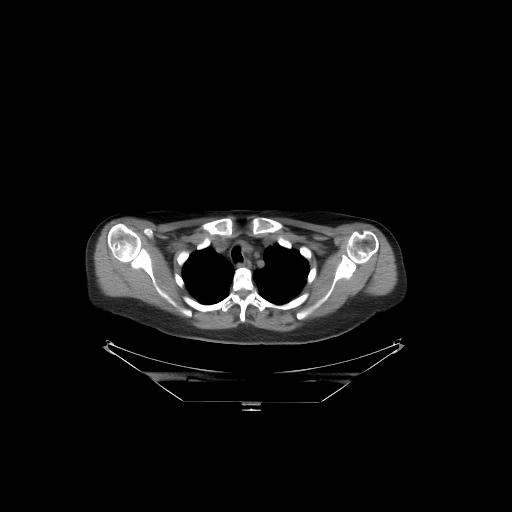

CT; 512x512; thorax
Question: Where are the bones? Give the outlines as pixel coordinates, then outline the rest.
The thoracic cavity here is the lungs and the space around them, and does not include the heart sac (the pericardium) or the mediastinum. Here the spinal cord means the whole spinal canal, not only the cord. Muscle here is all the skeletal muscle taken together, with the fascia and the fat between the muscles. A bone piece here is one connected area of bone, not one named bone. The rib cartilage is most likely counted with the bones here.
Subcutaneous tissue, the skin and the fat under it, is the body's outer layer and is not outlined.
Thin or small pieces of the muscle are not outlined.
Answer: Outlined structures:
bones 1: 239,267 252,272 258,293 269,302 281,305 302,293 307,292 308,296 302,304 289,309 266,307 260,311 249,304 244,322 236,303 226,311 192,308 188,317 180,310 189,307 183,296 206,305 221,301 229,294 with a hole at 242,289 243,289 244,290 246,290 248,292 248,293 246,295 246,296 244,298 241,298 240,297 240,296 238,294 238,291 239,291 240,290 241,290
bones 2: 117,223 123,223 139,235 141,239 142,246 148,251 150,255 152,264 152,271 156,283 176,303 177,307 169,303 158,293 150,276 143,269 133,268 129,262 122,262 112,255 107,244 107,234 110,228
bones 3: 365,229 372,231 376,235 379,244 377,252 366,262 357,264 350,278 340,278 323,303 303,319 298,319 296,317 298,311 307,309 313,305 329,289 341,256 346,252 346,244 350,235 354,231 361,232
bones 4: 223,217 228,217 230,218 233,222 233,225 232,226 232,233 230,237 228,237 224,235 219,235 218,234 209,234 208,232 204,230 201,227 202,224 206,222 209,222 210,221 212,221 216,219 219,219
bones 5: 259,216 262,216 263,217 268,217 276,221 278,221 280,222 282,224 282,228 275,232 267,232 266,233 262,233 261,234 254,235 252,231 252,224 251,223 251,221 254,218 256,217 258,217
bones 6: 183,250 186,250 187,251 188,251 189,252 189,255 188,256 188,257 187,258 187,259 184,262 184,263 182,265 182,266 180,266 178,264 178,262 177,261 177,256 178,255 178,254 181,251 182,251
bones 7: 301,246 306,246 311,251 311,257 310,258 310,259 309,260 308,260 307,259 306,259 299,252 299,248
bones 8: 313,266 315,266 316,267 316,275 315,276 315,277 313,279 313,280 310,283 307,283 307,276 308,275 308,273 309,272 309,270 310,269 310,268 311,267 312,267
bones 9: 279,236 282,236 285,239 286,239 288,241 289,241 291,243 291,245 292,246 292,247 291,247 290,248 287,248 286,247 285,247 284,246 282,246 280,244 279,244 278,243 278,242 277,241 277,238
bones 10: 205,237 209,237 209,238 210,239 210,243 209,244 209,245 208,246 207,246 206,247 204,247 203,248 201,248 200,249 197,249 196,248 196,247 197,246 197,245 198,244 199,244 205,238
bones 11: 175,273 177,273 178,274 179,274 181,276 181,277 182,278 182,279 183,280 183,281 184,282 184,286 183,287 180,287 176,283 176,282 175,281 175,278 174,277 174,274
bones 12: 147,227 148,227 149,228 150,228 152,230 152,231 153,232 153,236 151,238 149,238 147,236 146,236 144,234 144,233 143,232 143,230 145,228 146,228
thoracic cavity 1: 275,244 278,244 287,249 291,248 297,249 298,252 307,260 309,266 306,276 306,282 301,289 300,294 287,302 281,304 274,303 264,298 259,293 253,280 253,272 257,269 261,269 265,265 264,262 265,249
thoracic cavity 2: 209,246 212,247 217,253 221,254 225,257 232,265 234,271 232,275 231,285 229,288 228,294 217,302 206,304 199,302 190,295 185,286 185,282 181,274 182,273 182,267 188,259 190,254 196,249 200,250
mediastinum: 240,235 246,235 250,237 269,237 277,242 273,245 267,246 264,249 263,251 264,265 261,268 257,268 253,271 246,266 239,266 234,268 233,265 225,256 217,252 210,245 211,242 213,242 214,240 231,239
torso: 164,208 191,210 325,209 341,212 335,226 336,239 360,286 379,312 366,322 337,337 312,343 280,345 226,344 181,338 165,334 125,317 112,314 110,312 116,306 127,284 131,267 143,243 143,224 132,212
right arm: 121,212 131,212 140,220 143,228 142,243 141,247 130,267 130,271 126,284 122,290 115,306 109,312 104,312 94,308 90,304 87,298 86,278 85,277 85,268 84,267 85,247 90,234 102,220 110,215
left arm: 343,213 377,220 385,225 396,238 401,248 408,279 408,290 405,299 400,305 396,306 385,312 380,312 369,299 367,294 364,291 359,282 359,280 349,264 347,256 344,250 337,239 336,226 340,216
muscle: 229,215 239,218 258,216 250,221 254,236 281,230 283,224 269,217 275,216 332,227 354,222 371,224 382,232 392,248 397,284 388,294 357,296 334,312 306,320 299,328 290,331 269,330 244,323 234,328 201,329 183,317 137,298 105,295 96,282 93,254 103,227 111,220 134,217 158,224 219,216 202,223 200,227 209,235 230,238 234,222; inner edges: 240,235 269,237 276,241 282,236 293,248 306,246 311,251 307,261 310,268 316,267 316,275 301,289 301,294 308,293 305,301 289,309 266,307 261,311 249,304 244,322 240,320 240,307 236,303 226,311 192,308 190,317 183,314 180,310 189,307 183,296 190,294 175,281 174,274 182,273 178,254 183,250 190,254 205,237 213,242, then 117,223 123,223 139,235 141,239 142,246 148,251 150,255 152,264 152,271 156,283 176,303 177,307 169,303 158,293 150,276 143,269 133,268 129,262 122,262 112,255 107,244 107,234 110,228, then 365,229 372,231 376,235 379,244 377,252 366,262 357,264 350,278 340,278 323,303 303,319 298,319 296,317 298,311 307,309 313,305 329,289 341,256 346,252 346,244 350,235 354,231 361,232, then 147,227 148,227 149,228 150,228 152,230 152,231 153,232 153,236 151,238 149,238 147,236 146,236 144,234 144,233 143,232 143,230 145,228 146,228
spinal cord: 242,289 243,289 244,290 246,290 248,292 248,293 246,295 246,296 244,298 241,298 240,297 240,296 238,294 238,291 239,291 240,290 241,290